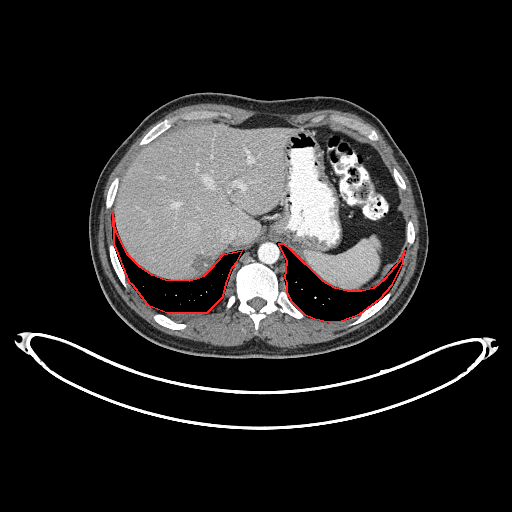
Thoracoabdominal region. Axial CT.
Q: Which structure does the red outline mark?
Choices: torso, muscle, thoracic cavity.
A: red: thoracic cavity.
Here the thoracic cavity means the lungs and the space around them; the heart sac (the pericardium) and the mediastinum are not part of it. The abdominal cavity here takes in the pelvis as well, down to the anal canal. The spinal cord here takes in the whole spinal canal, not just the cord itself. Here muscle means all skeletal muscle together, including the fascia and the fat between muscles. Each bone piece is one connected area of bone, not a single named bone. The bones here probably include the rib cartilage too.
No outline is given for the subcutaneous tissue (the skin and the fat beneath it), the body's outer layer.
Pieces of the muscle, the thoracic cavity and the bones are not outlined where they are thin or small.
Outlined structures:
thoracic cavity 1: [[167,312],[207,312],[223,296],[226,283],[232,267],[237,261],[242,251],[222,255],[210,269],[203,276],[199,278],[189,281],[165,280],[152,275],[140,267],[128,255],[117,234],[114,225],[114,218],[112,211],[113,243],[128,281],[131,283],[147,304]]
thoracic cavity 2: [[328,321],[341,320],[360,313],[380,298],[392,284],[403,262],[404,250],[399,261],[384,279],[373,288],[361,291],[347,291],[335,288],[323,281],[289,248],[283,244],[278,244],[286,261],[284,278],[286,282],[286,291],[290,300],[303,313],[314,318]]
abdominal cavity: [[347,290],[373,287],[404,249],[398,189],[368,144],[327,126],[294,127],[286,120],[262,115],[252,115],[236,125],[199,119],[162,134],[128,166],[113,207],[115,225],[129,255],[152,274],[172,280],[193,279],[222,254],[271,240],[289,247],[329,284]]
spinal cord: [[257,312],[258,311],[258,310],[265,303],[265,302],[263,300],[262,300],[261,299],[259,299],[258,298],[256,298],[255,299],[253,299],[251,301],[249,301],[249,304],[250,305],[251,305],[256,310],[256,311]]
bones 1: [[256,330],[263,318],[276,312],[286,313],[297,319],[304,317],[287,295],[283,291],[278,290],[276,274],[261,263],[248,264],[240,268],[237,272],[235,284],[236,293],[228,298],[226,304],[226,309],[229,309],[237,301],[239,303],[238,312],[250,317]], around a hole outlined by [[257,312],[258,311],[258,310],[265,303],[265,302],[263,300],[262,300],[261,299],[259,299],[258,298],[256,298],[255,299],[253,299],[251,301],[249,301],[249,304],[250,305],[251,305],[256,310],[256,311]]
bones 2: [[140,146],[147,145],[167,129],[170,128],[175,121],[192,118],[206,118],[212,117],[218,114],[225,115],[228,117],[230,116],[228,114],[219,112],[198,110],[188,112],[179,116],[175,116],[170,119],[166,118],[156,123],[150,129],[140,141],[139,143]]
bones 3: [[371,141],[377,141],[378,140],[378,136],[376,132],[367,125],[360,122],[357,122],[356,121],[351,120],[348,118],[342,117],[341,116],[335,116],[334,115],[329,116],[329,119],[331,121],[335,123],[342,124],[349,128],[356,130],[361,134],[364,135]]
bones 4: [[125,288],[127,288],[128,287],[129,285],[129,283],[127,281],[125,277],[125,275],[122,270],[121,265],[118,260],[118,258],[114,250],[114,246],[112,243],[108,246],[108,251],[109,252],[109,257],[110,258],[110,261],[111,262],[112,267],[119,281]]
bones 5: [[348,326],[352,326],[358,323],[360,323],[377,312],[387,302],[387,301],[391,296],[391,292],[389,292],[385,296],[384,296],[383,298],[382,298],[375,304],[362,312],[360,314],[361,315],[356,319],[355,319],[351,323],[350,323],[348,325]]
bones 6: [[171,330],[183,330],[186,327],[186,325],[184,323],[177,323],[176,322],[175,322],[173,320],[170,319],[167,316],[166,316],[163,314],[161,314],[160,313],[156,313],[155,314],[154,314],[152,316],[153,319],[158,324],[159,324],[168,329],[170,329]]
bones 7: [[106,209],[109,209],[113,206],[114,200],[115,199],[115,197],[117,193],[117,190],[118,189],[119,182],[120,181],[120,179],[118,177],[116,177],[113,180],[109,187],[109,189],[107,193],[106,201],[105,202],[105,206],[106,207]]
bones 8: [[409,245],[411,245],[413,243],[414,241],[414,237],[415,236],[414,227],[413,226],[413,224],[411,220],[409,220],[407,222],[406,224],[406,227],[405,228],[405,230],[406,231],[406,238],[405,240],[406,242],[409,244]]
bones 9: [[401,190],[405,190],[405,189],[406,188],[406,186],[405,185],[405,183],[404,182],[402,177],[400,175],[400,174],[397,171],[397,170],[395,168],[393,168],[393,171],[392,172],[392,176],[393,177],[393,179],[394,180],[396,185]]
mediastinum: [[278,277],[284,274],[284,271],[285,270],[285,261],[283,255],[281,253],[276,242],[268,241],[267,242],[260,243],[251,248],[244,250],[243,253],[237,262],[239,262],[241,265],[244,265],[253,262],[261,262],[263,264],[270,267],[277,274]]
muscle: [[214,346],[238,346],[247,341],[251,340],[253,338],[260,339],[262,341],[264,341],[266,343],[273,346],[291,346],[292,345],[299,345],[300,344],[315,344],[320,342],[329,341],[335,338],[343,336],[358,328],[362,327],[382,314],[395,301],[403,289],[407,285],[414,272],[417,261],[417,256],[418,255],[418,248],[419,247],[419,223],[418,222],[417,206],[415,202],[415,199],[413,195],[410,182],[406,174],[399,163],[395,159],[392,150],[387,144],[383,136],[369,122],[355,114],[348,112],[343,112],[338,110],[334,110],[333,109],[316,110],[315,111],[310,111],[309,112],[304,112],[297,114],[281,114],[280,113],[267,113],[266,112],[253,111],[230,105],[215,104],[214,103],[204,103],[203,104],[190,105],[189,106],[181,107],[169,112],[149,126],[136,138],[125,154],[115,166],[109,175],[109,177],[103,189],[102,198],[99,208],[99,216],[98,217],[98,227],[97,228],[98,252],[104,272],[123,300],[137,314],[152,326],[162,332],[170,335],[178,336],[182,338],[186,338],[195,341],[201,341]] with holes at [[256,330],[263,318],[276,312],[297,319],[307,314],[328,321],[359,313],[348,326],[377,312],[391,296],[391,292],[383,295],[403,262],[404,241],[409,245],[414,241],[413,224],[411,220],[405,224],[398,209],[398,189],[405,190],[405,183],[395,168],[390,176],[368,144],[327,126],[294,127],[286,120],[262,115],[229,125],[206,118],[228,114],[201,110],[159,121],[140,141],[139,145],[146,147],[128,166],[122,180],[113,180],[107,193],[106,209],[113,208],[113,242],[108,246],[112,267],[121,284],[127,288],[130,282],[150,306],[167,312],[207,312],[223,296],[232,267],[239,262],[242,266],[237,272],[236,293],[228,298],[226,309],[237,301],[238,312],[250,317]] and at [[371,141],[377,141],[378,140],[378,136],[376,132],[367,125],[360,122],[357,122],[356,121],[351,120],[348,118],[342,117],[341,116],[335,116],[334,115],[329,116],[329,119],[331,121],[335,123],[342,124],[349,128],[356,130],[361,134],[364,135]] and at [[171,330],[183,330],[186,327],[186,325],[184,323],[177,323],[176,322],[175,322],[173,320],[170,319],[167,316],[166,316],[163,314],[161,314],[160,313],[156,313],[155,314],[154,314],[152,316],[153,319],[158,324],[159,324],[168,329],[170,329]] and at [[312,121],[320,121],[321,120],[322,120],[323,119],[324,119],[324,116],[318,116],[317,117],[316,117],[315,118],[313,118],[312,119]]
torso: [[229,358],[303,357],[347,347],[388,326],[412,297],[425,265],[429,241],[421,190],[408,160],[385,126],[359,105],[330,96],[258,100],[218,92],[186,94],[145,117],[100,172],[89,208],[89,247],[97,280],[112,309],[134,331],[157,345],[190,355]]